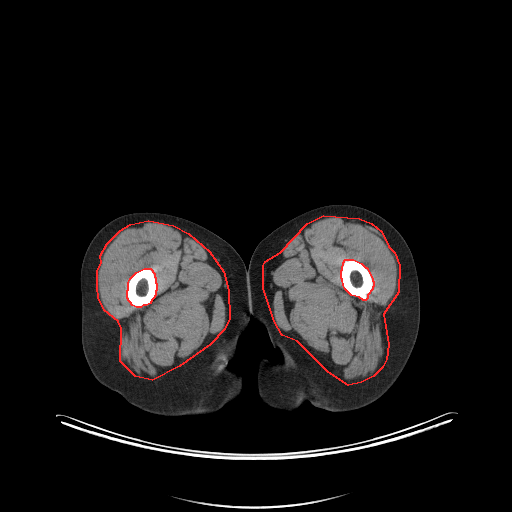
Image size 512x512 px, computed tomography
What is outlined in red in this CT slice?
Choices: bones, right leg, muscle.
red: muscle.
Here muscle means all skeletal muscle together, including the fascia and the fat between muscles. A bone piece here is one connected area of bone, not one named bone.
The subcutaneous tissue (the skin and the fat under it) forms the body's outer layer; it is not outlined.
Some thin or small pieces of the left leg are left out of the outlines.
{"muscle":[{"outer":[[323,215],[359,218],[371,223],[381,231],[388,246],[394,252],[399,265],[398,292],[383,314],[388,344],[386,359],[382,367],[373,376],[361,382],[348,385],[328,372],[297,341],[282,335],[274,321],[263,288],[263,265],[265,261],[280,252],[307,223]],"hole":[[345,259],[353,259],[361,263],[365,267],[366,267],[372,278],[372,280],[373,281],[373,286],[372,287],[372,289],[367,295],[367,298],[365,300],[363,300],[359,297],[351,295],[345,289],[343,285],[342,279],[341,278],[341,270],[342,269],[343,262]]},{"outer":[[148,220],[173,225],[188,233],[209,251],[223,271],[228,290],[229,318],[224,329],[210,344],[179,366],[152,380],[135,376],[120,361],[121,328],[118,321],[104,310],[98,297],[97,287],[97,270],[101,263],[100,255],[107,243],[120,230],[130,224]],"hole":[[144,268],[150,268],[154,273],[154,276],[155,277],[155,282],[156,283],[156,290],[155,291],[155,295],[150,302],[150,303],[146,305],[143,305],[140,307],[136,307],[132,305],[127,298],[127,290],[128,289],[128,282],[130,278],[136,272]]}],"right_leg":[[[133,212],[166,213],[201,225],[228,242],[244,262],[250,318],[237,342],[235,353],[228,362],[228,367],[242,376],[243,387],[235,399],[213,413],[164,416],[144,411],[102,385],[92,374],[85,359],[81,343],[82,260],[89,243],[104,225],[116,217]]],"left_leg":[[[330,204],[371,210],[404,238],[419,282],[418,335],[400,375],[372,403],[344,412],[325,410],[308,401],[292,411],[273,408],[259,396],[257,369],[262,357],[279,361],[282,353],[273,346],[267,330],[250,316],[246,266],[256,246],[273,230],[306,211]]],"bones":[[[345,259],[353,259],[361,263],[365,267],[366,267],[372,278],[372,280],[373,281],[373,286],[372,287],[372,289],[367,295],[367,298],[365,300],[363,300],[359,297],[351,295],[345,289],[343,285],[342,279],[341,278],[341,270],[342,269],[343,262]],[[144,268],[150,268],[154,273],[154,276],[155,277],[155,282],[156,283],[156,290],[155,291],[155,295],[150,302],[150,303],[146,305],[143,305],[140,307],[136,307],[132,305],[127,298],[127,290],[128,289],[128,282],[130,278],[136,272]]]}